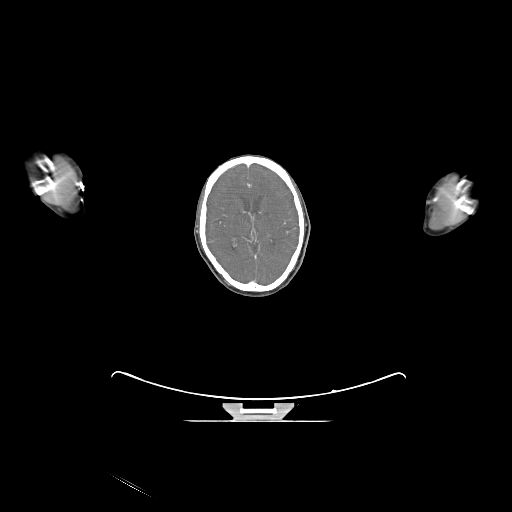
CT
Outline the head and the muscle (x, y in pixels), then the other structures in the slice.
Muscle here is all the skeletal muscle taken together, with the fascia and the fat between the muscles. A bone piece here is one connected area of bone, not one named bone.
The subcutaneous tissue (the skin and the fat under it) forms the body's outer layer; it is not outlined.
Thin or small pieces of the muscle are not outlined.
head: [[241,154],[260,154],[274,160],[285,168],[294,178],[303,194],[311,223],[309,239],[303,263],[299,271],[286,287],[273,295],[264,297],[248,297],[238,295],[222,286],[210,272],[200,257],[193,235],[196,202],[204,181],[210,173],[222,162],[233,156]]
muscle 1: [[55,154],[68,158],[83,184],[83,189],[79,194],[78,208],[75,212],[62,210],[47,202],[42,196],[58,187],[58,182],[49,174],[55,170],[55,165],[47,155],[34,161],[45,174],[43,177],[31,181],[26,171],[26,163],[30,158],[37,155]]
muscle 2: [[451,174],[465,176],[478,182],[480,185],[478,203],[475,208],[473,205],[474,200],[467,193],[472,184],[471,181],[462,177],[453,188],[454,199],[451,204],[454,208],[466,215],[454,225],[441,230],[432,230],[428,227],[429,201],[436,186],[443,178]]
brain: [[253,164],[257,164],[270,170],[281,179],[292,196],[297,215],[298,233],[296,245],[284,269],[273,280],[267,283],[260,283],[254,279],[241,281],[233,277],[211,251],[207,242],[206,234],[207,202],[213,186],[229,169],[238,165],[244,165],[249,168]]
left arm: [[449,170],[463,170],[464,171],[475,172],[481,176],[487,178],[490,183],[490,189],[480,209],[463,224],[445,235],[437,237],[429,236],[425,234],[422,229],[422,222],[424,216],[424,203],[425,202],[426,194],[430,186],[436,178],[444,172],[446,172]]
bones 1: [[248,154],[265,156],[270,158],[287,170],[295,184],[295,189],[304,214],[305,230],[304,241],[295,266],[282,283],[277,287],[267,291],[245,291],[232,286],[218,273],[204,253],[200,243],[198,233],[200,207],[204,184],[207,177],[222,162],[230,158]]; inner edge: [[253,164],[257,164],[270,170],[281,179],[292,196],[297,215],[298,233],[296,245],[284,269],[273,280],[267,283],[260,283],[254,279],[241,281],[233,277],[211,251],[207,242],[206,234],[207,202],[213,186],[229,169],[238,165],[244,165],[249,168]]
bones 2: [[44,156],[47,156],[52,161],[54,165],[54,170],[51,172],[50,171],[48,174],[57,182],[57,187],[42,195],[39,195],[35,192],[31,185],[31,182],[37,179],[43,178],[45,176],[46,174],[35,163],[35,161],[37,159],[42,159]]
bones 3: [[462,178],[465,178],[469,180],[471,183],[470,186],[468,188],[466,192],[467,195],[472,200],[473,200],[472,205],[474,207],[474,211],[470,214],[467,214],[460,209],[454,207],[454,206],[452,204],[455,199],[455,196],[454,195],[454,188],[456,184]]
right arm: [[41,148],[56,148],[63,150],[70,154],[77,161],[81,167],[84,176],[83,190],[84,191],[85,213],[80,219],[68,220],[58,216],[34,196],[28,188],[22,176],[22,174],[20,173],[18,169],[17,165],[18,158],[22,151],[30,149],[40,149]]